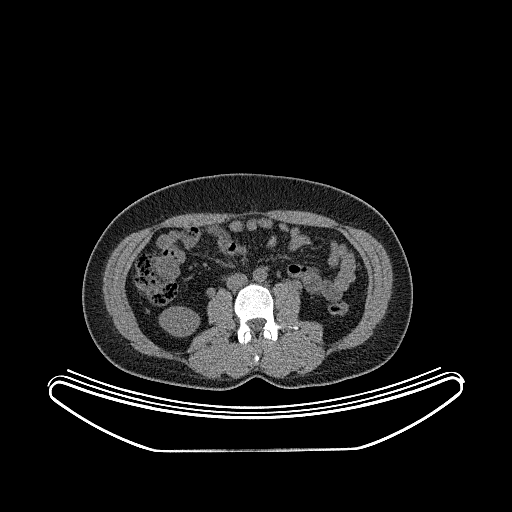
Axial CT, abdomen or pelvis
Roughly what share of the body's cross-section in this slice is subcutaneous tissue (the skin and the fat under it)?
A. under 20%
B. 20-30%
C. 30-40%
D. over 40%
C. 30-40%
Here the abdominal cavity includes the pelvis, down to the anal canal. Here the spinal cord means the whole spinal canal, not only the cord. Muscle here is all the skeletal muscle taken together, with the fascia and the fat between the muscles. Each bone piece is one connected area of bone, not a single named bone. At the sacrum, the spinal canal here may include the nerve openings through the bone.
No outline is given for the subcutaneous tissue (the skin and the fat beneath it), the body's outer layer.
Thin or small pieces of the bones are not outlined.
torso: 241,172 291,176 328,184 367,202 387,220 407,258 413,304 405,335 384,364 328,385 291,389 254,377 231,389 206,390 132,375 116,367 100,352 84,319 82,282 89,256 104,229 124,208 159,188 199,176
bones: 252,283 261,285 270,291 273,297 274,320 286,326 296,325 298,327 297,329 286,326 281,328 278,331 276,340 262,336 254,336 246,343 240,343 238,341 236,332 239,325 239,318 234,311 234,300 240,289; inner edge: 255,318 262,318 265,320 265,322 264,323 264,324 263,325 263,326 262,327 262,328 260,331 252,331 252,330 250,328 250,327 247,324 247,322 249,320 250,320 251,319 254,319
abdominal cavity: 250,215 333,228 345,236 368,278 357,324 326,343 320,322 299,318 301,293 292,283 276,282 271,292 252,282 233,301 227,289 215,292 206,305 211,326 185,351 152,341 126,294 138,253 161,228 217,225
spinal cord: 255,318 262,318 265,320 265,322 264,323 264,324 263,325 263,326 262,327 262,328 260,331 252,331 252,330 250,328 250,327 247,324 247,322 249,320 250,320 251,319 254,319
muscle: 275,209 308,211 329,217 340,223 349,225 355,228 362,229 368,232 380,242 385,249 392,267 392,273 393,274 392,276 393,277 392,292 388,302 386,312 383,318 373,329 373,334 364,343 353,348 333,352 328,355 321,364 314,370 307,374 299,375 293,378 287,377 278,378 268,375 261,370 252,370 247,374 238,378 220,380 203,377 180,362 142,354 134,349 129,344 129,341 118,332 113,323 112,318 106,309 103,298 102,285 103,284 103,273 106,263 112,251 122,239 133,232 151,226 169,217 180,214 203,213 204,212 241,213 251,210 268,211, around a hole outlined by 250,215 345,236 368,278 357,324 326,343 320,322 299,318 299,290 281,281 271,289 274,320 298,327 281,328 276,340 240,343 232,294 221,287 206,305 211,326 185,351 152,341 126,294 138,253 161,228